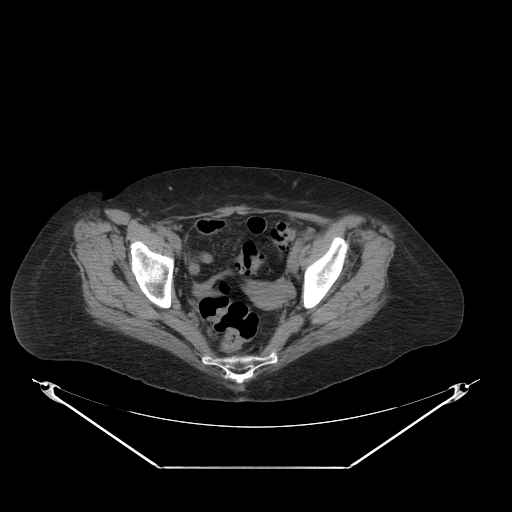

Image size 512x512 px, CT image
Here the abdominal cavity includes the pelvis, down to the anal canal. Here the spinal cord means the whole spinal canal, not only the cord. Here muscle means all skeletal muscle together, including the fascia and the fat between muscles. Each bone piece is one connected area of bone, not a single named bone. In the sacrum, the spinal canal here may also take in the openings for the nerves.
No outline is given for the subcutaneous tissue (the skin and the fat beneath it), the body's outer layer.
The muscle is outlined by 241,204 334,218 349,213 370,215 389,226 396,246 387,270 388,296 357,331 261,374 244,390 235,391 167,350 97,324 85,310 79,269 69,250 74,239 73,226 81,215 96,209 120,209 158,220, around a hole outlined by 233,213 281,213 323,226 299,250 297,264 302,272 327,251 334,237 348,243 342,269 321,300 305,308 301,297 288,318 255,354 266,356 274,350 277,361 255,369 241,383 225,378 220,367 202,362 204,355 218,355 182,309 173,280 168,308 158,306 143,293 131,270 129,246 138,240 152,251 173,258 180,253 181,243 166,225 177,220. The abdominal cavity is outlined by 233,213 281,213 314,222 324,229 311,242 300,248 297,264 303,276 299,303 274,330 266,345 255,354 218,356 202,331 182,309 176,295 173,280 174,257 180,253 181,243 179,237 165,226 177,220 228,216. The torso is outlined by 203,165 302,171 355,185 385,200 458,279 465,305 459,331 451,339 412,350 381,368 315,393 271,402 199,399 147,385 99,365 33,356 13,333 9,293 25,253 49,217 86,190 103,189 109,198 148,175. The bones appear in 3 outlined pieces: piece 1: 137,240 141,241 152,251 172,257 174,259 172,288 171,289 171,305 168,308 163,308 153,303 143,293 135,279 135,277 131,270 131,265 130,264 131,261 131,253 130,252 130,247 129,245 131,242; piece 2: 337,236 345,239 348,243 348,249 346,252 346,255 344,259 342,269 336,280 332,284 321,300 313,307 311,308 305,308 303,305 303,299 302,298 304,271 307,266 321,257 327,251 330,246 330,244 333,238; piece 3: 273,350 276,352 277,361 275,363 266,364 255,369 253,375 245,379 241,383 238,383 230,378 225,378 225,372 220,367 216,365 204,364 201,360 202,356 204,355 209,355 212,357 226,357 233,355 266,356. The spinal cord is outlined by 238,369 242,369 243,370 246,370 245,370 243,372 241,372 240,373 238,373 237,372 235,372 233,370 237,370.